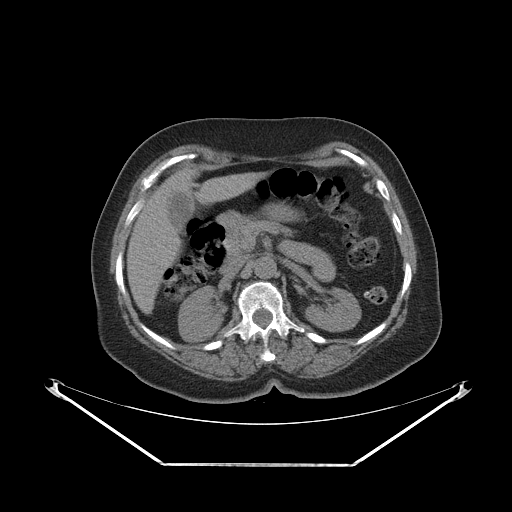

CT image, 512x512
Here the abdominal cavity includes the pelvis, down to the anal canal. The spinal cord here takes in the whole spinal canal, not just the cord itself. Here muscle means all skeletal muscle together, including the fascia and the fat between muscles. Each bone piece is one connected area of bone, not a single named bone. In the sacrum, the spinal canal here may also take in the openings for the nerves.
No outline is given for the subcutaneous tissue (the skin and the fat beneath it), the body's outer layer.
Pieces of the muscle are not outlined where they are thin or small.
The muscle appears in 2 outlined pieces: piece 1: [[332,141],[342,141],[343,142],[346,142],[361,150],[364,153],[371,157],[377,163],[392,184],[408,220],[416,248],[416,273],[414,276],[411,293],[408,299],[408,309],[407,310],[406,318],[405,321],[401,326],[400,330],[397,333],[386,339],[378,345],[368,350],[347,367],[327,376],[324,376],[319,378],[302,378],[301,377],[297,377],[291,373],[288,373],[280,369],[276,365],[273,364],[272,365],[263,365],[258,371],[252,374],[248,378],[239,381],[215,380],[195,374],[176,365],[158,352],[147,347],[144,344],[137,340],[130,333],[121,315],[121,311],[116,297],[116,290],[115,289],[114,282],[112,279],[112,276],[109,272],[109,268],[110,267],[110,252],[112,246],[112,237],[113,236],[113,233],[116,227],[122,209],[127,200],[132,185],[141,172],[150,163],[163,153],[168,151],[170,149],[172,149],[177,146],[185,145],[186,144],[201,144],[220,151],[225,150],[238,154],[248,154],[249,155],[255,155],[256,156],[282,156],[283,155],[291,155],[292,154],[297,154],[298,153],[310,151],[323,144]] with holes at [[259,161],[319,168],[347,164],[385,184],[389,201],[378,195],[389,218],[394,211],[400,220],[402,233],[395,235],[402,260],[410,265],[411,281],[402,297],[397,293],[384,320],[386,326],[373,338],[357,345],[353,344],[358,337],[327,338],[326,343],[317,343],[294,329],[285,339],[273,331],[268,348],[275,358],[265,361],[260,358],[264,344],[259,336],[247,342],[236,333],[223,336],[242,318],[236,300],[229,321],[213,340],[222,340],[216,349],[205,350],[202,344],[182,344],[167,337],[175,347],[171,349],[139,325],[141,320],[128,292],[124,296],[115,280],[116,259],[125,249],[132,225],[124,223],[133,205],[145,200],[160,177],[174,170],[189,166],[215,170]] and at [[189,153],[195,153],[197,155],[196,157],[192,159],[184,159],[171,165],[169,167],[166,168],[156,178],[155,181],[150,187],[142,192],[140,190],[140,186],[141,185],[142,179],[144,177],[147,176],[154,168],[162,161],[173,156],[188,154]] and at [[337,148],[338,148],[339,149],[346,149],[347,150],[350,151],[352,153],[358,155],[361,158],[362,158],[367,162],[367,166],[366,167],[363,167],[362,166],[359,165],[357,163],[356,163],[348,157],[347,157],[346,156],[337,152],[336,151],[336,149]]; piece 2: [[284,298],[285,298],[290,303],[290,305],[291,306],[291,311],[294,314],[294,315],[302,323],[308,325],[313,330],[313,331],[308,331],[306,330],[303,326],[301,325],[299,325],[297,323],[293,321],[286,314],[284,310]]. The spinal cord is outlined by [[260,309],[265,309],[266,310],[267,310],[271,314],[271,315],[272,316],[272,318],[271,319],[270,322],[265,327],[261,327],[258,324],[257,324],[255,322],[254,322],[254,321],[253,320],[253,315],[254,314],[254,313],[257,310],[259,310]]. The bones appear in 11 outlined pieces: piece 1: [[259,280],[268,281],[279,290],[283,310],[293,322],[327,342],[317,343],[294,329],[289,330],[285,339],[273,331],[268,336],[268,348],[275,358],[265,361],[260,358],[264,344],[259,336],[247,342],[236,333],[224,337],[242,318],[237,304],[241,290]] with a hole at [[260,309],[265,309],[266,310],[267,310],[271,314],[271,315],[272,316],[272,318],[271,319],[270,322],[265,327],[261,327],[258,324],[257,324],[255,322],[254,322],[254,321],[253,320],[253,315],[254,314],[254,313],[257,310],[259,310]]; piece 2: [[189,153],[195,153],[197,155],[196,157],[192,159],[184,159],[171,165],[169,167],[166,168],[156,178],[155,181],[150,187],[142,192],[140,190],[140,186],[141,185],[142,179],[144,177],[147,176],[154,168],[162,161],[173,156],[188,154]]; piece 3: [[120,251],[122,251],[123,252],[123,259],[122,260],[122,272],[123,273],[123,280],[124,281],[124,285],[125,286],[125,289],[126,290],[126,295],[125,296],[124,296],[120,291],[115,280],[115,265],[116,264],[116,259],[117,258],[118,253]]; piece 4: [[383,321],[385,321],[386,322],[386,326],[381,332],[380,332],[373,338],[369,340],[367,340],[360,344],[358,344],[357,345],[354,345],[353,344],[360,337],[361,337],[364,334],[365,334],[367,332],[368,332],[370,330],[371,330],[373,328],[380,324]]; piece 5: [[405,262],[408,262],[411,268],[411,281],[410,282],[410,284],[408,288],[404,293],[403,296],[402,297],[400,297],[400,290],[401,289],[401,287],[402,286],[402,282],[403,281],[403,276],[404,275],[404,263]]; piece 6: [[140,322],[143,323],[148,328],[149,328],[151,330],[152,330],[155,333],[156,333],[160,336],[163,337],[167,341],[168,341],[172,345],[173,345],[175,347],[175,349],[171,349],[170,348],[167,347],[165,345],[154,340],[139,325],[139,323]]; piece 7: [[139,199],[143,199],[143,205],[141,209],[134,217],[131,223],[128,226],[125,226],[125,224],[124,223],[125,222],[125,219],[126,218],[126,216],[127,214],[129,212],[129,211],[131,209],[133,205]]; piece 8: [[337,148],[338,148],[339,149],[346,149],[347,150],[350,151],[352,153],[358,155],[361,158],[362,158],[367,162],[367,166],[366,167],[363,167],[362,166],[359,165],[357,163],[356,163],[348,157],[347,157],[346,156],[337,152],[336,151],[336,149]]; piece 9: [[377,178],[378,178],[382,181],[383,181],[383,182],[385,184],[385,185],[388,190],[388,192],[389,193],[389,196],[390,197],[390,199],[389,200],[389,201],[386,200],[381,195],[381,194],[376,188],[376,184],[375,183],[375,179],[376,179]]; piece 10: [[393,211],[394,211],[396,213],[396,214],[397,215],[397,216],[399,218],[399,219],[400,220],[400,222],[401,223],[401,226],[402,227],[402,233],[401,234],[399,234],[396,232],[396,231],[394,228],[394,226],[393,225],[393,224],[391,221],[391,214]]; piece 11: [[216,340],[222,340],[222,344],[220,347],[219,347],[216,349],[212,349],[211,350],[205,350],[202,348],[202,347],[204,344],[205,344],[206,343],[208,343],[209,342],[211,342],[212,341],[215,341]]. The abdominal cavity is outlined by [[259,161],[319,168],[347,164],[372,178],[395,231],[403,275],[388,315],[361,336],[326,338],[315,332],[295,315],[273,283],[260,279],[240,290],[229,321],[203,344],[175,342],[141,321],[125,285],[124,250],[132,222],[160,177],[189,166],[215,170]]. The torso is outlined by [[297,116],[325,116],[356,123],[380,137],[398,157],[422,206],[437,252],[442,325],[435,344],[395,377],[346,397],[306,399],[273,386],[267,394],[245,402],[208,404],[146,385],[104,351],[95,323],[91,243],[123,164],[146,138],[178,122],[208,117]].